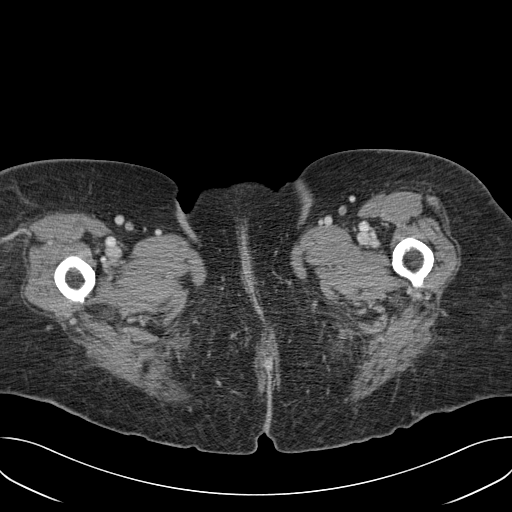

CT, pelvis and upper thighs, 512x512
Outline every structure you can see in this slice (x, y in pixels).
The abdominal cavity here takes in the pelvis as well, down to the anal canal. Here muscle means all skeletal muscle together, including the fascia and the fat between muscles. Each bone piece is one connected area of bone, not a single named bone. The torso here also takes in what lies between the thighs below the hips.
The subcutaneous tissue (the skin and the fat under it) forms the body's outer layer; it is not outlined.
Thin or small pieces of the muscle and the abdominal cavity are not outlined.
{"torso":[[[244,180],[259,181],[272,188],[284,183],[367,436],[366,441],[329,449],[284,453],[276,450],[272,441],[263,433],[257,440],[255,452],[238,455],[205,452],[193,446],[175,447],[149,441],[141,436],[183,210],[186,212],[191,208],[203,188],[227,186]]],"bones":[[[409,236],[413,236],[418,240],[420,240],[429,246],[433,252],[434,262],[431,270],[425,277],[423,281],[423,284],[424,285],[423,287],[419,287],[418,288],[413,287],[411,283],[406,278],[402,277],[395,273],[391,266],[391,256],[393,249],[402,238]],[[69,255],[77,255],[79,256],[83,260],[88,263],[95,270],[96,272],[96,284],[95,285],[95,287],[91,292],[91,293],[85,299],[83,303],[74,302],[68,299],[61,293],[54,282],[53,273],[55,270],[56,266],[64,258]]],"left_leg":[[[358,148],[415,150],[439,155],[450,159],[464,166],[475,174],[484,183],[498,204],[511,217],[511,397],[492,397],[482,399],[450,412],[430,414],[410,427],[400,427],[389,435],[368,439],[285,185],[285,182],[295,179],[304,168],[318,158],[334,152]]],"abdominal_cavity":[[[268,349],[269,349],[274,354],[274,363],[273,364],[273,368],[272,369],[272,370],[270,372],[268,372],[265,369],[265,368],[264,367],[264,366],[263,365],[263,363],[262,362],[262,357],[264,355],[265,355],[266,354],[266,351]]],"right_leg":[[[50,158],[108,159],[138,164],[155,169],[165,174],[178,187],[178,193],[176,198],[182,209],[182,215],[179,226],[174,258],[140,436],[125,435],[101,427],[91,423],[79,416],[71,414],[48,402],[38,401],[12,394],[0,393],[0,170],[19,163]]],"muscle":[{"outer":[[50,210],[94,214],[111,229],[133,240],[173,232],[197,242],[203,252],[207,268],[206,301],[195,330],[200,401],[175,404],[163,402],[133,385],[128,385],[95,363],[67,337],[56,321],[32,311],[21,301],[18,296],[24,277],[22,240],[31,220]],"hole":[[69,255],[77,255],[79,256],[83,260],[88,263],[95,270],[96,272],[96,284],[95,285],[95,287],[91,292],[91,293],[85,299],[83,303],[74,302],[68,299],[61,293],[54,282],[53,273],[55,270],[56,266],[64,258]]},{"outer":[[387,183],[430,188],[440,198],[451,221],[452,233],[460,246],[461,265],[441,294],[436,320],[438,339],[429,346],[426,353],[382,387],[356,402],[344,403],[329,377],[320,311],[303,289],[289,253],[307,226],[323,221],[328,224],[339,223],[361,201]],"hole":[[409,236],[413,236],[418,240],[420,240],[429,246],[433,252],[434,262],[431,270],[425,277],[423,281],[423,284],[424,285],[423,287],[419,287],[418,288],[413,287],[411,283],[406,278],[402,277],[395,273],[391,266],[391,256],[393,249],[402,238]]},{"outer":[[264,328],[271,328],[273,332],[276,334],[278,341],[280,344],[279,373],[280,374],[281,387],[272,397],[266,397],[262,395],[261,396],[258,395],[258,392],[256,389],[254,388],[252,382],[253,352],[254,351],[255,343],[258,334],[262,329]],"hole":[[268,349],[269,349],[274,354],[274,363],[273,364],[273,368],[272,369],[272,370],[270,372],[268,372],[265,369],[265,368],[264,367],[264,366],[263,365],[263,363],[262,362],[262,357],[264,355],[265,355],[266,354],[266,351]]}]}